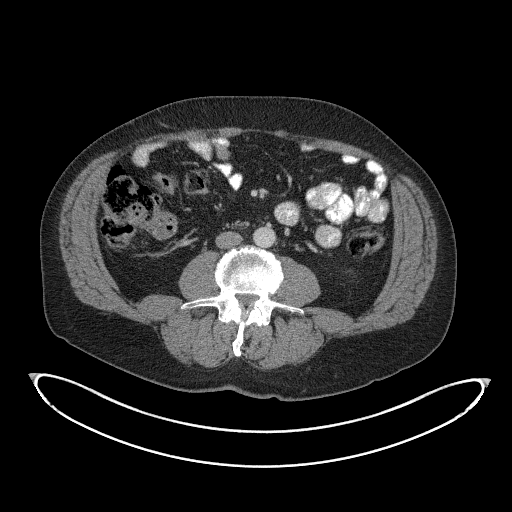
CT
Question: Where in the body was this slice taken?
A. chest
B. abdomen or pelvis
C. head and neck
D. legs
Answer: B. abdomen or pelvis
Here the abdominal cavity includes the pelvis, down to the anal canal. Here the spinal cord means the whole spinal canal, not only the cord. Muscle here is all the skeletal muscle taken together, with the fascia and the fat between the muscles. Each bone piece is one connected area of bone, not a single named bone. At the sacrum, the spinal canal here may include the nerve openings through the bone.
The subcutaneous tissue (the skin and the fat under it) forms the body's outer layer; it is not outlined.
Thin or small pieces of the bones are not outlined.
{"muscle":[[[269,372],[307,361],[334,337],[389,328],[413,316],[433,279],[437,250],[435,220],[421,188],[365,149],[283,129],[219,126],[158,133],[92,159],[69,186],[59,215],[59,246],[75,295],[87,305],[150,325],[175,360],[201,370],[216,370],[234,356],[231,342],[237,326],[220,322],[213,307],[179,307],[218,292],[213,270],[220,254],[203,251],[185,266],[178,281],[182,298],[158,293],[133,302],[122,296],[104,264],[95,227],[107,169],[146,142],[228,138],[246,132],[375,159],[384,168],[391,183],[393,242],[389,272],[375,301],[355,318],[311,306],[320,294],[313,272],[278,256],[284,281],[271,297],[300,306],[305,313],[275,308],[267,326],[245,329],[241,357]]],"torso":[[[284,401],[314,399],[366,386],[422,361],[442,342],[455,304],[457,249],[450,216],[430,176],[371,121],[341,105],[307,97],[184,98],[151,109],[96,138],[62,171],[41,215],[42,301],[50,330],[103,362],[171,389],[187,392],[230,389],[251,397]]],"abdominal_cavity":[[[353,317],[370,308],[390,263],[390,183],[375,160],[246,133],[228,139],[146,143],[108,169],[96,227],[105,264],[125,297],[138,301],[158,292],[182,297],[177,281],[194,256],[208,249],[221,255],[249,243],[309,267],[321,289],[310,304],[339,309]]],"bones":[{"outer":[[235,356],[242,354],[244,329],[251,323],[267,325],[275,307],[304,313],[300,307],[270,297],[283,281],[281,262],[272,252],[249,244],[231,248],[216,263],[216,295],[186,301],[180,307],[213,306],[220,321],[234,321],[238,326],[232,342]],"hole":[[245,306],[247,306],[250,303],[251,303],[254,300],[255,300],[258,297],[255,295],[249,295],[248,294],[245,294],[244,295],[241,295],[240,294],[237,294],[236,295],[236,297],[238,299],[238,300],[239,301],[239,302]]}],"spinal_cord":[[[245,306],[247,306],[250,303],[251,303],[254,300],[255,300],[258,297],[255,295],[249,295],[248,294],[245,294],[244,295],[241,295],[240,294],[237,294],[236,295],[236,297],[238,299],[238,300],[239,301],[239,302]]]}